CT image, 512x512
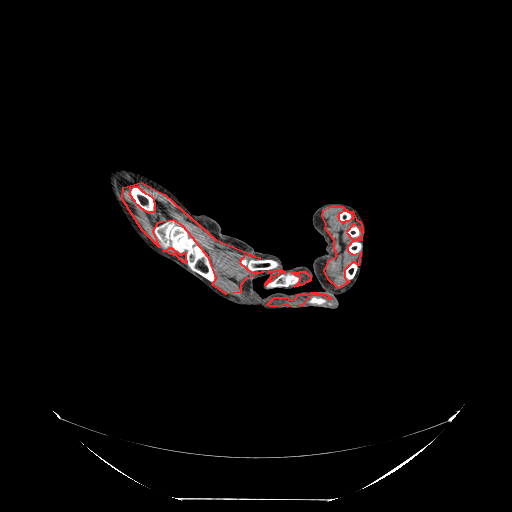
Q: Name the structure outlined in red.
A: red: muscle.
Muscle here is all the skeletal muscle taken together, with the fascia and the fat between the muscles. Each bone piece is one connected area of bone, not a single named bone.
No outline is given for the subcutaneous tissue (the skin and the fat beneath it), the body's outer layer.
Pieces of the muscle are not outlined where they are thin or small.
Outlined structures:
muscle 1: [[141,182],[164,194],[215,239],[260,258],[244,255],[239,262],[251,272],[263,271],[245,279],[240,285],[240,292],[226,294],[212,284],[216,278],[209,258],[183,226],[173,220],[157,223],[152,231],[159,247],[142,230],[122,199],[123,187]], around a hole outlined by [[132,186],[138,186],[138,187],[142,191],[143,191],[145,193],[148,194],[152,197],[153,199],[153,201],[154,202],[154,210],[153,212],[147,212],[143,209],[142,209],[138,205],[137,205],[135,201],[129,194],[131,190],[130,187]]
muscle 2: [[330,206],[342,206],[347,210],[352,211],[356,219],[360,222],[362,229],[362,233],[360,228],[353,224],[346,232],[352,239],[356,239],[361,235],[361,240],[353,240],[347,247],[347,250],[352,254],[360,252],[359,261],[358,265],[355,262],[352,262],[344,270],[344,277],[347,281],[349,281],[338,288],[328,279],[324,270],[330,259],[335,257],[337,254],[334,249],[334,240],[325,228],[326,224],[322,216],[323,210]]; inner edge: [[344,210],[346,210],[347,211],[348,211],[349,212],[350,212],[351,213],[351,214],[353,217],[352,218],[352,219],[351,219],[348,221],[345,221],[344,222],[342,222],[339,220],[339,218],[338,217],[338,216],[339,215],[339,213],[340,212],[341,212]]
muscle 3: [[310,292],[318,292],[326,294],[329,296],[330,299],[328,299],[321,295],[313,295],[306,299],[304,303],[300,306],[298,305],[290,306],[287,304],[278,306],[270,306],[267,304],[274,297],[287,297],[288,299],[292,299],[296,297],[298,294],[306,294]]
muscle 4: [[300,271],[305,271],[310,276],[310,280],[309,281],[308,281],[307,282],[306,282],[301,285],[298,285],[297,286],[294,286],[295,285],[296,285],[299,282],[299,281],[300,280],[300,277],[298,275],[297,275],[296,274],[294,274],[291,272],[299,272]]
muscle 5: [[170,247],[171,248],[172,248],[175,251],[176,251],[179,254],[182,254],[185,252],[185,259],[186,260],[186,263],[183,262],[180,259],[179,259],[179,258],[176,255],[174,255],[173,254],[171,254],[166,251],[164,251],[163,250],[166,250]]
muscle 6: [[280,269],[281,269],[284,272],[285,272],[281,272],[279,273],[277,275],[273,277],[271,281],[270,281],[265,285],[265,283],[268,280],[269,280],[271,277],[271,274],[270,272],[268,271],[274,271],[275,270],[279,270]]
right arm: [[112,168],[131,170],[154,180],[192,213],[213,218],[224,233],[243,240],[256,251],[277,256],[281,267],[252,281],[251,289],[260,297],[324,290],[336,296],[336,307],[266,309],[259,304],[238,303],[220,296],[140,238],[114,197],[108,179]]
left arm: [[331,202],[340,202],[354,208],[365,226],[361,241],[363,251],[361,269],[353,286],[336,295],[323,289],[314,277],[303,285],[266,289],[264,283],[270,273],[300,265],[311,268],[314,258],[325,252],[326,242],[314,228],[312,215],[317,208]]
bones 1: [[165,221],[173,221],[177,225],[183,227],[186,230],[188,236],[194,239],[201,246],[214,272],[215,278],[214,283],[210,282],[200,274],[193,271],[188,266],[185,251],[179,253],[170,246],[166,249],[160,247],[157,241],[157,237],[153,231],[157,224]]
bones 2: [[244,256],[247,256],[247,257],[248,258],[255,258],[256,259],[271,259],[272,260],[277,260],[281,263],[281,268],[280,268],[279,269],[275,269],[274,270],[256,270],[255,271],[251,271],[250,270],[249,270],[245,266],[243,266],[240,262],[241,259]]
bones 3: [[132,186],[138,186],[138,187],[142,191],[143,191],[145,193],[148,194],[152,197],[153,199],[153,201],[154,202],[154,210],[153,212],[147,212],[143,209],[142,209],[138,205],[137,205],[135,201],[129,194],[131,190],[130,187]]
bones 4: [[281,273],[291,273],[294,275],[296,275],[298,276],[299,277],[299,280],[296,284],[295,284],[292,287],[288,287],[287,288],[285,287],[275,287],[274,288],[269,288],[267,289],[266,287],[264,286],[265,286],[267,284],[271,282],[273,278],[274,278]]
bones 5: [[313,296],[321,296],[322,297],[323,297],[324,298],[325,298],[326,299],[329,300],[331,302],[331,303],[330,304],[325,304],[324,305],[321,305],[320,304],[315,304],[314,303],[305,303],[306,300],[307,300],[310,297],[312,297]]
bones 6: [[352,263],[355,263],[357,265],[357,266],[358,267],[357,268],[357,269],[356,270],[356,271],[355,272],[355,274],[354,275],[354,276],[350,280],[347,280],[347,279],[345,277],[345,275],[344,274],[344,272],[345,271],[345,270]]
bones 7: [[356,240],[359,240],[362,242],[362,248],[360,251],[359,251],[356,253],[352,253],[351,252],[350,252],[348,250],[348,247],[349,246],[349,245],[350,245],[351,244],[351,243],[352,243],[353,242],[353,241],[355,241]]
bones 8: [[353,225],[355,225],[356,226],[357,226],[359,228],[359,229],[360,230],[360,231],[361,232],[361,234],[358,237],[357,237],[356,238],[352,238],[350,236],[349,236],[348,235],[348,234],[347,233],[347,232],[348,231],[348,230]]
bones 9: [[344,210],[346,210],[347,211],[348,211],[349,212],[350,212],[351,213],[351,214],[353,217],[352,218],[352,219],[351,219],[348,221],[345,221],[344,222],[342,222],[339,220],[339,218],[338,217],[338,216],[339,215],[339,213],[340,212],[341,212]]